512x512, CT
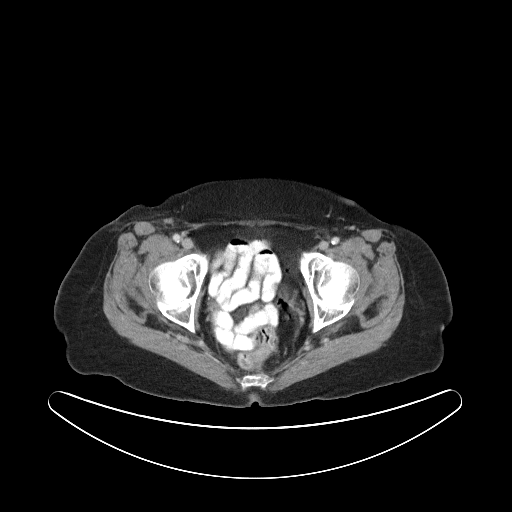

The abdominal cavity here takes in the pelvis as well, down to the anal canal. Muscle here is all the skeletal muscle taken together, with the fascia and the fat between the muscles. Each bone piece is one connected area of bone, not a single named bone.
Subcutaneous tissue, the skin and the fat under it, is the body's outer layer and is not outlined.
Outlined structures:
muscle: 151 217; 182 223; 276 219; 320 226; 341 237; 363 229; 387 229; 393 235; 403 275; 402 317; 392 335; 374 352; 274 393; 255 388; 242 393; 226 390; 164 357; 129 343; 113 329; 103 312; 103 282; 116 251; 118 236; 127 223, around a hole outlined by 227 225; 309 231; 308 251; 350 264; 359 276; 348 312; 314 333; 303 285; 309 331; 283 362; 256 372; 273 378; 264 389; 243 390; 237 379; 248 373; 206 344; 202 284; 194 333; 162 314; 149 287; 158 264; 204 252; 193 231
abdominal cavity: 227 225; 287 226; 311 232; 315 241; 307 250; 300 253; 298 260; 304 282; 303 295; 309 313; 309 331; 297 349; 272 369; 248 373; 212 350; 200 333; 199 316; 205 292; 203 283; 208 271; 209 256; 196 243; 191 233; 207 226
torso: 255 175; 329 188; 428 243; 446 276; 453 307; 452 320; 442 334; 445 350; 440 365; 347 397; 266 407; 255 401; 241 408; 159 397; 112 376; 75 371; 67 362; 64 338; 54 326; 53 305; 85 241; 136 204; 155 205; 209 180
bones 1: 303 251; 311 252; 317 251; 334 260; 342 261; 350 264; 356 270; 359 276; 359 287; 355 293; 354 302; 348 312; 340 319; 321 328; 314 333; 312 333; 311 331; 313 326; 313 318; 314 317; 313 302; 299 266; 300 256
bones 2: 190 253; 205 253; 208 256; 207 271; 199 293; 196 298; 194 306; 194 313; 193 314; 193 321; 195 329; 194 333; 185 327; 168 319; 162 314; 157 307; 155 295; 150 290; 149 287; 150 284; 149 274; 155 266; 165 261; 175 260
bones 3: 257 373; 264 373; 268 376; 273 378; 273 380; 271 382; 268 383; 266 387; 264 389; 262 389; 259 386; 248 386; 244 390; 243 390; 241 387; 240 383; 237 380; 237 379; 238 378; 239 379; 244 375; 246 375; 247 374; 256 374